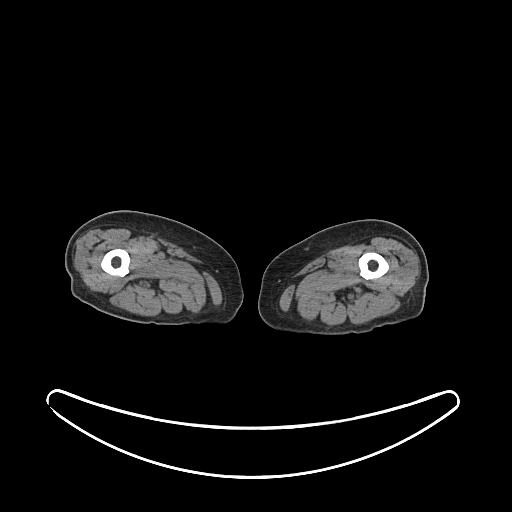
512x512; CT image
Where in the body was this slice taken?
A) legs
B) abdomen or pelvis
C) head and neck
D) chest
Answer: A) legs
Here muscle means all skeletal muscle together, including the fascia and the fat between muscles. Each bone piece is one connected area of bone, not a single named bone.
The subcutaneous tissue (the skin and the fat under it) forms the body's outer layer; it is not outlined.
Outlined structures:
right leg: [[114,210],[137,210],[175,219],[201,231],[225,248],[234,259],[239,269],[243,287],[243,301],[233,319],[223,325],[142,324],[123,320],[102,313],[74,297],[70,289],[70,277],[65,269],[64,263],[64,254],[67,242],[73,232],[80,225],[99,214]]
muscle 1: [[105,225],[120,225],[133,229],[159,233],[180,244],[199,259],[206,261],[213,270],[223,290],[224,305],[208,312],[162,319],[154,316],[141,316],[128,312],[113,306],[94,295],[88,290],[80,274],[73,265],[73,246],[74,241],[83,231]]; inner edge: [[114,248],[122,248],[123,249],[125,249],[129,254],[129,256],[130,257],[130,262],[129,263],[129,272],[122,277],[120,276],[116,276],[115,275],[111,275],[104,271],[101,267],[101,261],[102,260],[102,258],[104,254],[109,250],[111,250]]
muscle 2: [[367,235],[398,236],[407,241],[416,252],[419,258],[420,274],[414,288],[408,297],[408,301],[403,306],[391,314],[381,316],[358,325],[306,325],[284,319],[279,315],[276,309],[279,295],[290,278],[299,269],[312,258],[323,254],[330,249],[353,242]]; inner edge: [[368,251],[373,251],[374,252],[379,253],[385,258],[388,263],[388,265],[389,266],[388,270],[380,277],[378,277],[374,279],[365,279],[363,277],[362,277],[359,273],[360,272],[359,266],[358,265],[358,260],[359,259],[359,257],[364,252],[367,252]]
left leg: [[368,218],[387,220],[403,227],[416,238],[423,248],[427,259],[429,279],[425,289],[425,301],[421,313],[414,319],[375,328],[370,332],[338,336],[277,331],[264,323],[258,313],[257,301],[261,278],[270,261],[286,248],[324,228],[344,222]]
bones 1: [[368,251],[373,251],[374,252],[379,253],[385,258],[388,263],[388,265],[389,266],[388,270],[380,277],[378,277],[374,279],[365,279],[363,277],[362,277],[359,273],[360,272],[359,266],[358,265],[358,260],[359,259],[359,257],[364,252],[367,252]]
bones 2: [[114,248],[122,248],[123,249],[125,249],[129,254],[129,256],[130,257],[130,262],[129,263],[129,272],[122,277],[120,276],[116,276],[115,275],[111,275],[104,271],[101,267],[101,261],[102,260],[102,258],[104,254],[109,250],[111,250]]